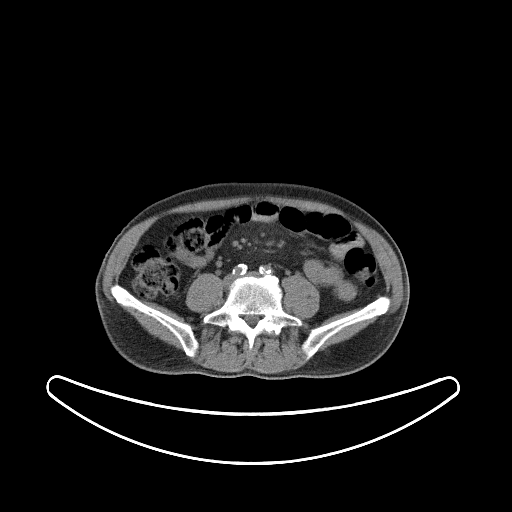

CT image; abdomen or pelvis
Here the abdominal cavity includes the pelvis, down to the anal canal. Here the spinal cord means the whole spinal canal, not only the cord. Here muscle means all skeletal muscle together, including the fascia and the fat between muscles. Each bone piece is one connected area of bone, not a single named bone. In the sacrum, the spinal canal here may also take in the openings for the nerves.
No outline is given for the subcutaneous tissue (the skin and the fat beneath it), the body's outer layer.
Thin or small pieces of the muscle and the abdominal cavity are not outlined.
{"spinal_cord":[[[241,314],[242,314],[243,315],[260,315],[261,314],[262,314],[263,315],[263,316],[262,317],[261,317],[257,321],[256,324],[254,326],[253,326],[252,327],[251,326],[250,326],[245,321],[245,320],[242,317],[241,317],[240,316],[240,315]]],"torso":[[[220,181],[292,182],[323,188],[361,206],[388,231],[406,264],[410,298],[399,333],[378,360],[357,372],[330,378],[221,378],[198,373],[154,373],[130,364],[116,352],[102,327],[94,295],[95,276],[106,250],[128,221],[148,205],[178,191]]],"muscle":[[[204,273],[213,274],[222,281],[224,301],[205,314],[202,322],[242,334],[249,351],[256,337],[263,332],[278,336],[285,327],[303,324],[299,317],[283,308],[283,277],[299,274],[319,292],[319,307],[307,321],[311,325],[360,308],[312,327],[300,346],[308,361],[296,369],[277,373],[248,368],[218,371],[188,358],[193,358],[199,348],[190,323],[143,302],[196,320],[199,313],[187,306],[186,295],[192,282]],[[255,195],[272,195],[325,203],[343,211],[352,218],[379,233],[394,251],[400,265],[403,283],[403,297],[398,308],[389,315],[381,316],[349,339],[330,345],[324,350],[317,352],[328,339],[344,328],[381,316],[388,311],[391,305],[391,299],[389,296],[384,294],[386,285],[379,262],[366,238],[343,215],[331,211],[304,209],[295,205],[278,203],[268,199],[253,199],[234,203],[221,208],[170,213],[156,220],[141,235],[119,276],[119,283],[116,282],[111,285],[109,291],[118,304],[123,307],[135,309],[153,318],[177,339],[183,352],[148,333],[133,316],[119,305],[113,303],[105,295],[102,288],[103,274],[107,261],[121,237],[131,227],[145,219],[180,205],[202,200]]],"bones":[{"outer":[[245,276],[275,276],[282,290],[281,305],[283,310],[299,318],[302,324],[300,326],[285,326],[278,335],[263,331],[255,337],[252,348],[249,350],[248,340],[242,333],[230,331],[227,327],[204,323],[204,316],[218,309],[224,303],[231,283],[237,278]],"hole":[[241,314],[242,314],[243,315],[260,315],[261,314],[262,314],[263,315],[263,316],[262,317],[261,317],[257,321],[256,324],[254,326],[253,326],[252,327],[251,326],[250,326],[245,321],[245,320],[242,317],[241,317],[240,316],[240,315]]},[[382,295],[385,295],[389,297],[390,299],[390,305],[385,313],[369,319],[356,322],[344,327],[328,338],[318,350],[308,360],[306,360],[305,357],[306,356],[302,351],[301,346],[312,328],[320,325],[327,324],[332,321],[347,316],[359,310]],[[116,283],[126,289],[133,296],[146,305],[156,309],[178,321],[186,322],[190,324],[194,335],[198,342],[198,348],[195,355],[193,357],[187,356],[185,354],[178,339],[165,326],[153,317],[149,316],[135,308],[123,306],[118,303],[110,291],[111,286]]],"abdominal_cavity":[[[253,200],[346,218],[371,247],[383,294],[314,324],[308,321],[320,307],[320,292],[299,273],[283,276],[280,286],[275,275],[237,277],[225,299],[223,281],[201,273],[185,295],[186,306],[198,313],[196,319],[137,298],[120,284],[120,276],[156,221]]]}